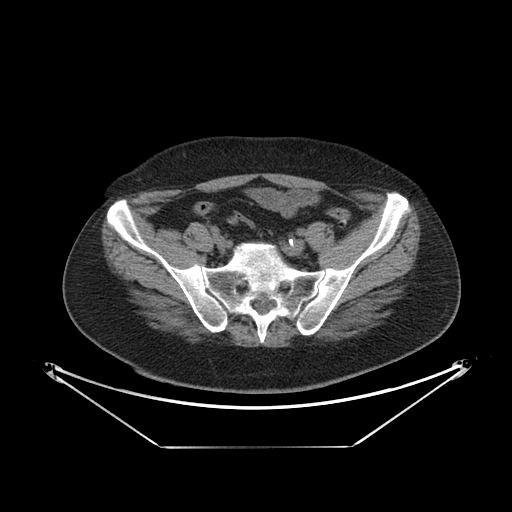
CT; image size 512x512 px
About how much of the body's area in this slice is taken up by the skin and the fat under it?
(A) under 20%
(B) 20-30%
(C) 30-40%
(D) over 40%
Answer: (D) over 40%
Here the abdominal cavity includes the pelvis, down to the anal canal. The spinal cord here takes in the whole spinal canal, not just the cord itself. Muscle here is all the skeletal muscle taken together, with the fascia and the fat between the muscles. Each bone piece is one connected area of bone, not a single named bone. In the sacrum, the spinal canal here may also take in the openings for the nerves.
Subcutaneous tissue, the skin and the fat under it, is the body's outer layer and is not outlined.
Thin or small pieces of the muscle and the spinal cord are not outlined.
{"torso":[[[228,134],[300,135],[331,140],[368,152],[413,179],[428,195],[441,218],[459,264],[460,303],[445,332],[421,349],[364,374],[321,388],[276,394],[213,392],[159,381],[135,372],[84,336],[66,311],[62,275],[69,251],[102,201],[104,188],[170,145]]],"spinal_cord":[[[262,299],[266,299],[268,301],[271,301],[272,302],[272,305],[271,306],[271,307],[268,310],[268,311],[267,311],[265,313],[259,313],[254,308],[254,307],[253,306],[253,302],[254,301],[255,301],[256,300],[261,300]],[[242,281],[244,281],[245,282],[246,282],[246,283],[247,284],[247,287],[246,288],[246,290],[245,291],[245,292],[244,292],[243,293],[239,293],[238,292],[237,292],[237,291],[236,290],[236,288],[237,287],[237,286],[239,284],[239,283]]],"bones":[{"outer":[[391,191],[407,198],[410,211],[356,266],[319,329],[303,335],[295,318],[278,316],[263,343],[247,314],[229,313],[224,330],[207,329],[160,261],[106,219],[125,198],[147,245],[180,269],[222,266],[250,241],[276,245],[302,271],[344,269],[370,244]],"holes":[[[262,299],[266,299],[268,301],[271,301],[272,302],[272,305],[271,306],[271,307],[268,310],[268,311],[267,311],[265,313],[259,313],[254,308],[254,307],[253,306],[253,302],[254,301],[255,301],[256,300],[261,300]],[[242,281],[244,281],[245,282],[246,282],[246,283],[247,284],[247,287],[246,288],[246,290],[245,291],[245,292],[244,292],[243,293],[239,293],[238,292],[237,292],[237,291],[236,290],[236,288],[237,287],[237,286],[239,284],[239,283]],[[284,280],[286,280],[287,281],[288,281],[288,282],[289,283],[289,288],[288,289],[288,290],[287,290],[286,291],[284,291],[283,290],[282,290],[282,289],[281,288],[281,283],[282,282],[282,281],[283,281]]]}],"muscle":[[[408,198],[421,234],[406,290],[383,323],[337,342],[276,348],[188,342],[133,314],[103,255],[106,210],[107,224],[159,261],[211,333],[224,331],[234,314],[252,319],[261,344],[278,317],[295,319],[299,333],[311,336],[357,266],[395,235],[411,211]],[[247,173],[283,173],[323,182],[396,190],[385,193],[372,239],[344,268],[320,268],[319,253],[308,244],[305,229],[321,221],[331,225],[336,241],[343,238],[372,214],[348,198],[324,189],[284,186],[260,176],[216,191],[184,194],[167,201],[146,218],[155,230],[172,229],[181,234],[192,222],[206,226],[213,247],[203,254],[205,264],[194,263],[180,268],[148,245],[125,197],[116,199],[108,207],[111,200],[144,190]]],"abdominal_cavity":[[[259,177],[329,191],[371,212],[337,240],[330,223],[306,226],[305,240],[318,253],[320,269],[292,266],[276,244],[261,240],[241,241],[226,263],[207,266],[204,254],[213,250],[214,240],[204,223],[192,221],[181,233],[155,229],[147,219],[184,195]]]}